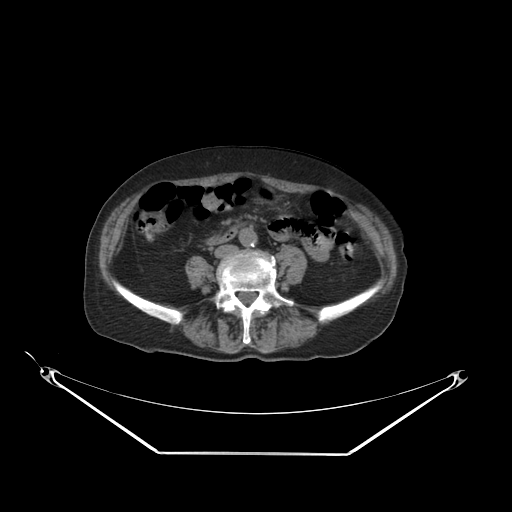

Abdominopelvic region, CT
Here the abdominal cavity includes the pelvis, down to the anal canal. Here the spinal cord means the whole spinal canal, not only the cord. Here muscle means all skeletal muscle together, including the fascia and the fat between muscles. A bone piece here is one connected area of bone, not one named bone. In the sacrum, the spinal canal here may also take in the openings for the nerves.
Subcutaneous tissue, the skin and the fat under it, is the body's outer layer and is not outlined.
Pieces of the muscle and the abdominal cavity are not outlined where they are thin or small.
The bones appear in 3 outlined pieces: piece 1: (253, 250) (264, 251) (275, 257) (276, 289) (284, 297) (292, 299) (294, 304) (282, 303) (263, 314) (256, 311) (250, 321) (251, 341) (245, 344) (242, 340) (243, 322) (239, 312) (237, 310) (224, 312) (216, 307) (211, 298) (219, 289) (216, 278) (219, 263) (237, 252), around a hole outlined by (256, 291) (257, 291) (258, 292) (258, 294) (256, 296) (256, 297) (253, 300) (253, 301) (249, 305) (245, 305) (235, 295) (235, 293) (236, 292) (255, 292); piece 2: (113, 279) (117, 280) (138, 295) (148, 300) (158, 303) (163, 306) (165, 306) (169, 308) (176, 309) (182, 312) (183, 313) (183, 320) (177, 325) (170, 324) (161, 319) (151, 316) (145, 312) (140, 310) (134, 305) (127, 301) (115, 289) (112, 283) (112, 280); piece 3: (380, 279) (382, 280) (382, 285) (379, 290) (371, 297) (360, 304) (353, 310) (344, 315) (342, 315) (334, 319) (328, 320) (324, 322) (319, 322) (317, 320) (317, 312) (318, 310) (323, 306) (331, 305) (340, 302) (362, 291) (373, 284) (377, 280). The spinal cord is outlined by (256, 291) (257, 291) (258, 292) (258, 294) (256, 296) (256, 297) (253, 300) (253, 301) (249, 305) (245, 305) (235, 295) (235, 293) (236, 292) (255, 292). The abdominal cavity is outlined by (244, 175) (283, 192) (339, 197) (377, 258) (377, 278) (335, 303) (296, 301) (276, 279) (299, 284) (308, 260) (286, 244) (275, 256) (230, 254) (215, 276) (203, 256) (190, 256) (188, 283) (218, 289) (183, 305) (132, 290) (115, 260) (142, 194) (163, 181) (213, 186). The muscle appears in 4 outlined pieces: piece 1: (236, 170) (266, 174) (272, 177) (294, 182) (324, 185) (366, 206) (384, 223) (392, 236) (398, 264) (396, 277) (390, 290) (375, 301) (354, 310) (380, 290) (383, 285) (383, 280) (381, 278) (377, 279) (380, 274) (380, 264) (377, 256) (371, 250) (361, 230) (350, 216) (348, 205) (339, 196) (329, 190) (322, 189) (317, 189) (308, 193) (283, 191) (268, 185) (252, 175) (244, 174) (213, 185) (183, 184) (167, 180) (158, 181) (150, 185) (141, 194) (131, 210) (127, 220) (127, 228) (123, 235) (122, 245) (114, 260) (115, 270) (127, 286) (115, 278) (111, 280) (114, 289) (123, 298) (118, 296) (107, 286) (103, 280) (98, 265) (98, 254) (102, 229) (114, 208) (127, 197) (133, 195) (146, 185) (156, 180) (184, 179); piece 2: (211, 296) (218, 310) (238, 312) (245, 345) (252, 341) (254, 314) (263, 315) (282, 304) (325, 305) (317, 310) (316, 320) (331, 321) (298, 347) (262, 353) (246, 346) (236, 353) (219, 352) (195, 345) (171, 325) (179, 325) (184, 313) (159, 303) (183, 306); piece 3: (286, 245) (292, 245) (299, 248) (303, 252) (307, 260) (307, 266) (305, 270) (305, 273) (301, 281) (299, 283) (294, 285) (291, 285) (285, 280) (279, 277) (277, 277) (277, 274) (278, 273) (278, 263) (276, 259) (276, 255) (278, 252) (280, 251) (281, 248); piece 4: (194, 255) (199, 255) (203, 257) (212, 266) (213, 268) (212, 269) (213, 270) (212, 271) (213, 272) (213, 275) (216, 279) (216, 280) (215, 280) (213, 282) (206, 284) (201, 288) (196, 288) (189, 283) (188, 281) (188, 278) (185, 271) (185, 264) (187, 260) (190, 257). The torso is outlined by (215, 145) (277, 146) (321, 157) (360, 179) (389, 207) (405, 234) (408, 272) (395, 316) (377, 339) (341, 357) (305, 361) (262, 361) (250, 357) (220, 362) (172, 353) (148, 353) (92, 330) (83, 310) (84, 255) (89, 231) (102, 204) (125, 179) (145, 165) (172, 154).